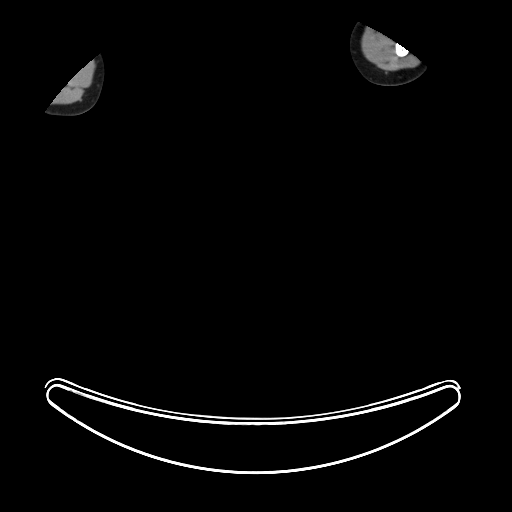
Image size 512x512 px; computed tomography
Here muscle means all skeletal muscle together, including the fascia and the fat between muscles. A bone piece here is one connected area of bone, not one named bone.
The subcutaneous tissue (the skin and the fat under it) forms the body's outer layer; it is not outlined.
{"left_arm":[[[357,22],[366,25],[380,32],[393,40],[394,42],[396,42],[403,46],[422,62],[427,67],[427,70],[417,79],[402,85],[384,86],[383,85],[374,84],[368,81],[361,75],[354,65],[349,52],[349,37],[350,36],[350,33],[354,24]]],"right_arm":[[[99,54],[102,55],[104,60],[105,75],[104,76],[104,81],[103,82],[102,89],[96,103],[89,110],[77,116],[61,117],[60,116],[52,116],[51,115],[45,114],[45,111],[50,105],[50,103],[65,85],[80,69],[94,57],[97,56]]],"bones":[[[395,42],[396,42],[397,43],[398,43],[399,44],[400,44],[402,46],[403,46],[406,49],[407,49],[408,50],[408,53],[407,54],[406,54],[405,55],[404,55],[403,56],[399,56],[395,52]]],"muscle":[[[365,25],[380,32],[393,40],[394,42],[394,52],[399,57],[403,57],[410,52],[421,63],[414,68],[402,69],[391,73],[385,74],[382,70],[377,68],[373,64],[369,62],[362,54],[360,47],[360,39],[361,38],[361,32]],[[94,57],[96,57],[97,65],[96,66],[96,69],[95,70],[93,81],[87,93],[83,98],[82,101],[75,102],[72,104],[69,104],[68,105],[55,105],[54,104],[50,104],[53,99],[59,93],[59,92],[65,86],[65,85],[74,76],[74,75]]]}